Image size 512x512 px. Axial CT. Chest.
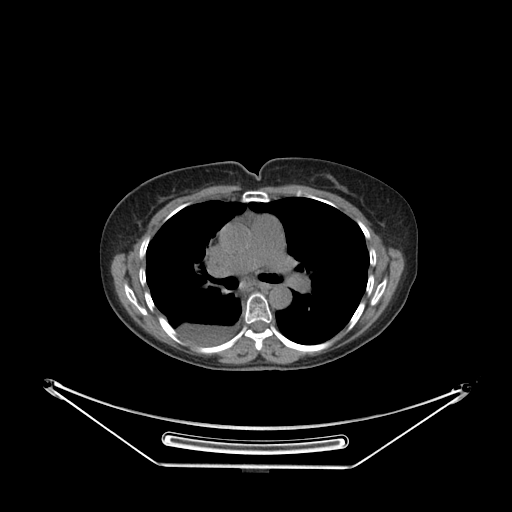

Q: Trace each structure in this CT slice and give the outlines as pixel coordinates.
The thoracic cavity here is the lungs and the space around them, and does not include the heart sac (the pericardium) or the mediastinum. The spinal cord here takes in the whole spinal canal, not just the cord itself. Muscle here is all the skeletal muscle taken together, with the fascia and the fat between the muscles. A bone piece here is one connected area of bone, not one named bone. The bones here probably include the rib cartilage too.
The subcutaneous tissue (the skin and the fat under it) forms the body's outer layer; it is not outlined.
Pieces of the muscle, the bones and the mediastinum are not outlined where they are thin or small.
A: The thoracic cavity appears in 2 outlined pieces: piece 1: [[291,196],[309,198],[341,211],[357,224],[368,250],[365,289],[356,308],[337,333],[312,344],[296,342],[277,327],[275,313],[291,305],[292,291],[296,289],[292,283],[293,259],[280,219],[273,213],[254,211],[248,206],[250,202],[267,203]]; piece 2: [[216,199],[239,201],[246,205],[241,213],[226,221],[215,232],[206,246],[206,254],[214,275],[224,280],[221,285],[238,298],[244,308],[240,328],[231,338],[219,344],[202,346],[180,337],[156,307],[147,284],[145,258],[151,239],[172,216],[190,205]]. The pericardium is outlined by [[247,211],[250,211],[253,213],[257,212],[269,213],[277,217],[285,230],[286,248],[285,251],[276,259],[265,265],[263,265],[252,272],[243,275],[239,273],[234,268],[232,264],[225,256],[223,247],[219,242],[218,236],[220,231],[229,222]]. The bones appear in 11 outlined pieces: piece 1: [[254,292],[266,298],[277,329],[288,339],[304,345],[330,339],[334,339],[333,343],[321,350],[303,352],[287,347],[273,334],[262,341],[258,350],[255,342],[243,335],[231,347],[221,351],[196,351],[197,346],[209,347],[224,343],[240,330],[245,302]], around a hole outlined by [[256,321],[262,321],[263,322],[264,322],[265,323],[265,324],[266,325],[266,326],[265,327],[265,328],[262,331],[254,331],[251,328],[251,325],[252,324],[252,323],[253,323],[254,322],[255,322]]; piece 2: [[369,274],[372,274],[374,277],[374,287],[375,288],[385,277],[386,277],[387,279],[385,289],[379,298],[378,301],[374,305],[371,305],[370,304],[371,297],[370,296],[367,296],[365,292],[366,285],[367,284],[367,280],[368,279],[368,275]]; piece 3: [[246,190],[259,190],[260,191],[264,191],[265,192],[266,192],[268,194],[268,195],[270,198],[270,200],[267,202],[260,202],[259,201],[250,201],[249,202],[243,202],[240,200],[240,196],[241,195],[241,194],[244,191],[245,191]]; piece 4: [[160,315],[162,315],[167,320],[168,323],[174,329],[174,330],[177,334],[177,336],[184,343],[184,344],[183,345],[182,344],[180,344],[179,343],[176,342],[173,339],[172,339],[165,332],[165,331],[162,328],[162,327],[158,320],[158,316],[159,316]]; piece 5: [[297,189],[300,189],[303,191],[308,192],[315,196],[317,196],[318,197],[326,199],[329,201],[331,201],[337,206],[337,208],[322,201],[316,200],[309,197],[305,197],[304,196],[295,196],[294,195],[292,195],[288,193],[287,191],[289,190],[296,190]]; piece 6: [[124,283],[127,283],[128,284],[128,285],[133,291],[137,299],[137,301],[138,303],[142,307],[146,309],[147,311],[147,314],[146,315],[144,315],[142,314],[140,312],[140,311],[128,299],[128,298],[125,294],[125,290],[124,289]]; piece 7: [[361,300],[364,300],[365,301],[365,306],[364,307],[364,309],[361,315],[359,317],[359,318],[357,320],[355,324],[352,327],[352,328],[350,330],[348,331],[346,331],[346,326],[350,318],[354,313],[355,310],[357,308]]; piece 8: [[147,235],[149,235],[150,236],[150,240],[148,243],[148,245],[147,246],[147,248],[146,249],[146,251],[145,252],[145,257],[143,259],[141,259],[139,257],[139,249],[140,248],[140,246],[141,245],[141,243],[142,242],[142,241],[144,239],[144,238]]; piece 9: [[186,202],[191,202],[191,204],[190,204],[189,205],[188,205],[187,206],[186,206],[185,207],[182,208],[180,210],[179,210],[177,212],[176,212],[163,223],[162,222],[163,221],[164,218],[171,211],[172,211],[179,205],[180,205],[183,203],[185,203]]; piece 10: [[146,290],[148,290],[149,291],[149,293],[151,296],[151,298],[152,299],[152,300],[154,303],[154,305],[155,306],[155,308],[153,311],[151,311],[149,309],[149,308],[147,306],[147,304],[146,303],[146,301],[145,300],[145,297],[144,296],[144,292]]; piece 11: [[356,219],[358,219],[359,220],[360,220],[365,225],[365,226],[367,228],[367,229],[369,232],[369,234],[370,235],[370,238],[369,239],[366,239],[365,238],[365,236],[364,235],[364,234],[363,233],[362,230],[360,228],[360,227],[356,222]]. The muscle is outlined by [[220,184],[239,185],[245,190],[239,199],[183,202],[163,218],[151,238],[149,234],[143,238],[138,249],[138,257],[145,259],[145,267],[138,269],[138,279],[142,287],[147,285],[148,288],[143,292],[146,306],[151,312],[156,308],[162,314],[157,320],[172,340],[183,346],[181,338],[196,345],[194,350],[198,353],[214,354],[231,348],[243,336],[250,338],[259,351],[263,341],[274,335],[287,348],[303,353],[317,352],[331,346],[335,340],[331,338],[345,326],[346,332],[353,328],[365,309],[366,301],[362,299],[365,293],[370,297],[371,306],[384,293],[387,277],[375,287],[374,275],[368,274],[369,267],[376,265],[377,255],[372,246],[368,249],[366,240],[371,235],[360,219],[355,221],[331,200],[300,188],[287,190],[290,196],[271,199],[266,191],[257,189],[264,186],[299,184],[336,194],[364,215],[386,247],[402,252],[404,268],[384,311],[353,340],[286,364],[265,362],[259,356],[244,364],[226,364],[187,353],[146,332],[118,298],[111,261],[115,254],[127,253],[133,248],[151,218],[171,200]]; inner edge: [[124,283],[127,283],[128,284],[128,285],[133,291],[137,299],[137,301],[138,303],[142,307],[146,309],[147,311],[147,314],[146,315],[144,315],[142,314],[140,312],[140,311],[128,299],[128,298],[125,294],[125,290],[124,289]]. The torso is outlined by [[288,156],[320,158],[354,167],[385,182],[409,203],[418,230],[418,269],[408,297],[391,323],[375,338],[340,358],[295,370],[208,369],[162,353],[130,331],[111,309],[99,271],[101,231],[117,202],[143,181],[174,168],[235,160],[257,173],[267,160]]. The mediastinum appears in 2 outlined pieces: piece 1: [[236,215],[219,231],[217,239],[224,256],[239,274],[254,272],[279,258],[286,249],[292,259],[291,283],[295,288],[291,291],[292,300],[274,315],[261,292],[250,293],[242,305],[241,300],[222,285],[225,280],[214,273],[207,246],[216,232]]; piece 2: [[245,203],[248,203],[247,204],[247,206],[249,208],[249,209],[250,210],[251,210],[254,212],[256,212],[253,212],[250,210],[247,210],[246,211],[245,211],[243,213],[242,213],[246,209],[246,208],[247,207],[247,205]]. The spinal cord is outlined by [[256,321],[262,321],[263,322],[264,322],[265,323],[265,324],[266,325],[266,326],[265,327],[265,328],[262,331],[254,331],[251,328],[251,325],[252,324],[252,323],[253,323],[254,322],[255,322]].